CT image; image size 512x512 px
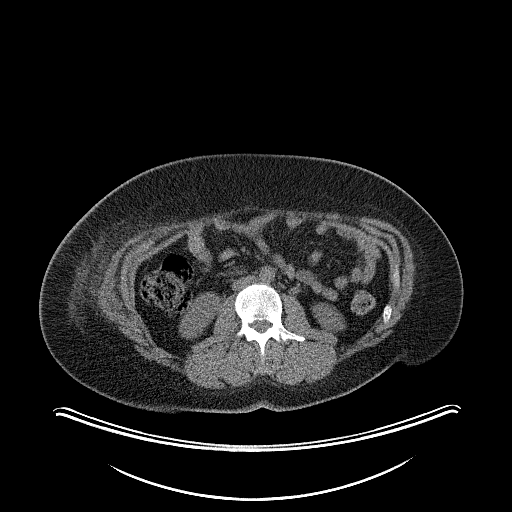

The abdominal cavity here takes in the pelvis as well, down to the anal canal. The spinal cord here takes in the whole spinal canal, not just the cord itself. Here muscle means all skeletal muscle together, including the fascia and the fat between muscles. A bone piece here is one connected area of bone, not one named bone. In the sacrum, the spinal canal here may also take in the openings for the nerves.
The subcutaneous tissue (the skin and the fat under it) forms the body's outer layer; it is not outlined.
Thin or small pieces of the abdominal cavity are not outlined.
The muscle is outlined by 246 205; 365 216; 386 221; 397 227; 409 242; 415 264; 415 274; 411 298; 402 311; 401 317; 392 328; 393 332; 376 345; 360 350; 338 363; 332 373; 320 383; 299 390; 279 389; 265 381; 236 388; 207 389; 197 386; 185 375; 153 360; 146 360; 140 355; 134 347; 134 342; 123 334; 115 324; 109 322; 101 314; 98 307; 97 292; 112 255; 123 241; 143 230; 220 211; 228 211 with holes at 248 211; 308 219; 381 247; 388 322; 381 315; 338 346; 331 332; 310 325; 295 297; 282 294; 281 322; 304 340; 270 338; 262 362; 258 344; 236 335; 233 293; 219 305; 212 333; 185 357; 159 346; 136 308; 138 266; 188 232 and at 397 261; 397 262; 398 263; 398 269; 399 270; 399 287; 398 288; 396 288; 394 286; 394 284; 393 283; 393 273; 394 272; 394 264; 395 263; 395 262; 396 262. The abdominal cavity is outlined by 248 211; 308 219; 359 234; 381 247; 388 259; 389 297; 371 328; 353 343; 338 346; 331 332; 310 325; 295 297; 282 294; 281 298; 271 285; 253 282; 223 300; 212 333; 194 343; 185 357; 159 346; 136 308; 138 266; 188 232. The bones appear in 3 outlined pieces: piece 1: 253 283; 267 284; 277 291; 282 301; 281 322; 283 326; 304 337; 303 341; 287 339; 285 342; 270 338; 265 344; 263 362; 258 344; 254 340; 248 341; 244 336; 238 337; 236 335; 241 327; 241 319; 234 307; 235 298; 240 290; inner edge: 263 320; 264 320; 265 321; 267 321; 268 322; 269 322; 271 324; 271 325; 266 330; 265 330; 263 332; 259 332; 257 330; 256 330; 254 328; 253 328; 250 325; 253 322; 254 322; 255 321; 262 321; piece 2: 397 261; 397 262; 398 263; 398 269; 399 270; 399 287; 398 288; 396 288; 394 286; 394 284; 393 283; 393 273; 394 272; 394 264; 395 263; 395 262; 396 262; piece 3: 387 304; 388 304; 391 306; 391 309; 392 310; 392 311; 391 312; 391 315; 390 316; 390 318; 389 319; 389 320; 388 321; 388 322; 387 323; 385 323; 383 321; 383 317; 382 316; 382 313; 383 312; 383 310; 384 309; 384 307. The torso is outlined by 228 152; 336 159; 373 171; 411 195; 443 230; 459 263; 463 305; 449 343; 418 366; 395 363; 351 393; 290 411; 261 407; 237 414; 161 413; 112 400; 68 375; 48 350; 39 321; 42 280; 59 243; 92 206; 133 176; 173 160. The spinal cord is outlined by 263 320; 264 320; 265 321; 267 321; 268 322; 269 322; 271 324; 271 325; 266 330; 265 330; 263 332; 259 332; 257 330; 256 330; 254 328; 253 328; 250 325; 253 322; 254 322; 255 321; 262 321.